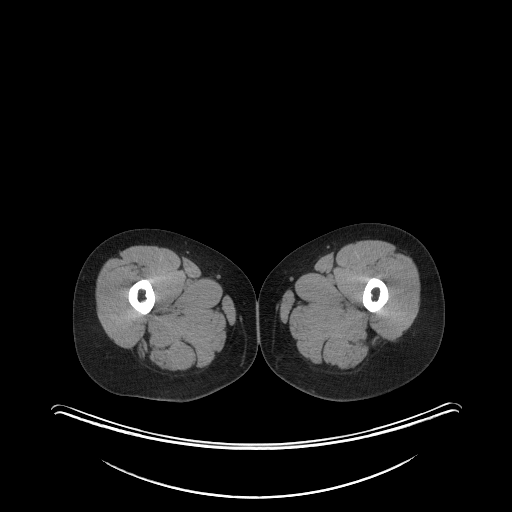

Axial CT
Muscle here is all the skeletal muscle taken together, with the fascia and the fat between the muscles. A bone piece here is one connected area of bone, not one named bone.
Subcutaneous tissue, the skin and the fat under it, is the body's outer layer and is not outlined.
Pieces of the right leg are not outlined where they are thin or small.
{"bones":[[[140,279],[149,279],[151,282],[152,287],[155,293],[155,302],[153,305],[153,307],[151,309],[151,310],[148,313],[146,314],[141,314],[135,309],[134,309],[132,307],[132,306],[130,304],[128,300],[128,290],[129,288],[135,282],[136,282]],[[370,277],[377,277],[379,278],[386,284],[387,286],[387,288],[388,289],[388,299],[387,301],[385,303],[385,304],[378,311],[376,312],[371,312],[369,311],[363,305],[363,303],[362,302],[362,292],[363,291],[364,286],[368,278]]],"right_leg":[[[133,228],[165,229],[195,239],[225,255],[248,277],[257,296],[258,349],[253,363],[238,379],[207,396],[193,401],[179,403],[111,393],[95,383],[84,371],[75,351],[72,333],[72,301],[77,276],[85,259],[98,244],[116,233]]],"muscle":[{"outer":[[364,239],[379,239],[390,242],[403,249],[411,257],[417,267],[420,279],[419,311],[411,326],[402,336],[397,341],[388,342],[384,345],[363,367],[345,374],[329,373],[311,364],[290,344],[280,328],[278,320],[279,304],[285,290],[321,256],[333,248]],"hole":[[370,277],[377,277],[379,278],[386,284],[387,286],[387,288],[388,289],[388,299],[387,301],[385,303],[385,304],[378,311],[376,312],[371,312],[369,311],[363,305],[363,303],[362,302],[362,292],[363,291],[364,286],[368,278]]},{"outer":[[132,245],[156,245],[179,252],[194,262],[203,272],[216,279],[233,300],[236,310],[233,335],[225,351],[201,371],[182,376],[170,376],[156,372],[144,366],[128,350],[117,346],[102,328],[97,317],[95,302],[95,285],[98,273],[107,259],[119,250]],"hole":[[140,279],[149,279],[151,282],[152,287],[155,293],[155,302],[153,305],[153,307],[151,309],[151,310],[148,313],[146,314],[141,314],[135,309],[134,309],[132,307],[132,306],[130,304],[128,300],[128,290],[129,288],[135,282],[136,282]]}],"left_leg":[[[360,222],[381,222],[397,226],[414,235],[427,248],[436,264],[443,288],[445,301],[444,331],[439,349],[433,360],[407,384],[373,398],[347,402],[330,401],[295,388],[276,375],[267,365],[258,344],[258,296],[262,283],[269,272],[294,249],[331,230]]]}